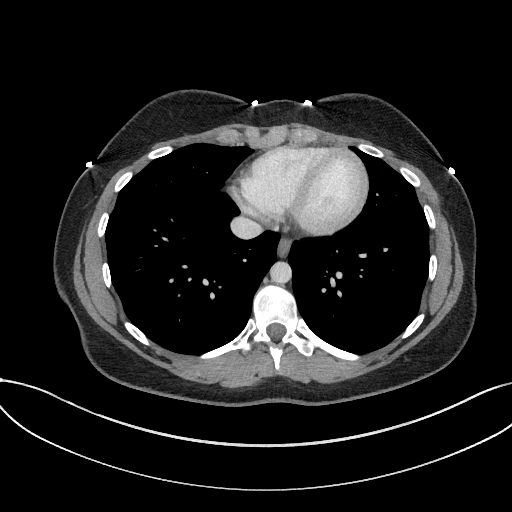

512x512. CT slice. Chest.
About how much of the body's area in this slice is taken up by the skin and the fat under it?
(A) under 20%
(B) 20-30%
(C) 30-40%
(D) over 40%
(B) 20-30%
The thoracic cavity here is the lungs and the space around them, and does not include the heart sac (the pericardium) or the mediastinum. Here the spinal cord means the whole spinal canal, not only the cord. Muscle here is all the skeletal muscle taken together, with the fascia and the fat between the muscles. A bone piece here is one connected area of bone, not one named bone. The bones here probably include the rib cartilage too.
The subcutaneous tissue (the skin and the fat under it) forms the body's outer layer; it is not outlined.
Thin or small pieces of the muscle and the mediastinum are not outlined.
The muscle appears in 2 outlined pieces: piece 1: [[226,388],[253,387],[273,376],[326,384],[354,378],[390,363],[441,322],[458,299],[464,269],[441,198],[420,169],[376,146],[391,167],[398,171],[404,165],[419,176],[418,200],[428,203],[435,214],[429,245],[430,253],[437,255],[438,269],[422,295],[419,312],[426,314],[424,321],[409,337],[397,337],[357,361],[319,348],[305,357],[287,344],[279,372],[262,342],[244,354],[235,350],[199,360],[151,341],[146,346],[127,332],[120,301],[101,277],[100,266],[107,257],[104,237],[97,236],[96,227],[100,214],[110,213],[114,206],[116,179],[129,169],[137,173],[150,160],[147,152],[112,176],[83,228],[74,257],[72,277],[81,304],[102,329],[143,358],[183,379]]; piece 2: [[150,150],[165,144],[170,144],[177,149],[196,142],[230,145],[220,143],[215,139],[215,136],[223,129],[235,128],[240,131],[245,128],[258,129],[262,134],[270,129],[277,129],[284,126],[290,130],[300,127],[316,131],[319,138],[314,143],[354,146],[358,142],[365,142],[375,145],[370,141],[359,137],[337,134],[301,123],[288,123],[268,127],[256,127],[247,124],[226,124],[200,133],[185,134],[157,142],[152,145]]. The thoracic cavity appears in 2 outlined pieces: piece 1: [[188,354],[215,348],[238,334],[251,315],[254,293],[275,261],[277,232],[266,230],[255,238],[242,240],[229,227],[240,210],[222,187],[252,152],[245,145],[196,143],[151,161],[118,193],[110,214],[105,233],[107,261],[112,285],[128,319],[152,341]]; piece 2: [[359,354],[389,343],[418,313],[427,280],[430,254],[429,229],[414,188],[381,159],[351,146],[350,149],[365,165],[369,178],[367,199],[360,213],[348,226],[331,236],[295,240],[291,246],[288,261],[292,268],[293,293],[299,314],[321,338],[335,346]]. The pericardium is outlined by [[298,236],[331,235],[349,224],[359,213],[366,199],[368,178],[361,160],[349,150],[342,148],[341,146],[319,146],[307,144],[276,146],[265,152],[255,154],[246,160],[238,167],[232,177],[228,180],[225,189],[243,211],[259,219],[267,227],[280,229]]. The torso is outlined by [[218,406],[318,406],[389,392],[441,370],[467,342],[477,313],[472,209],[434,145],[391,103],[345,92],[316,97],[315,107],[289,100],[246,106],[239,97],[205,89],[170,91],[140,108],[74,183],[57,228],[53,273],[86,357],[102,375],[126,387]]. The mediastinum appears in 2 outlined pieces: piece 1: [[291,292],[292,274],[287,261],[290,246],[295,239],[314,237],[298,237],[280,230],[267,228],[259,220],[241,210],[239,215],[233,218],[230,224],[232,232],[237,237],[249,239],[266,229],[277,231],[280,234],[276,261],[264,276],[259,287],[275,284]]; piece 2: [[241,163],[255,153],[257,153],[260,151],[265,151],[275,146],[272,146],[270,148],[268,148],[267,149],[261,149],[260,148],[254,148],[253,147],[251,147],[253,149],[253,152],[251,154],[250,154],[245,159],[244,159],[241,162]]. The bones appear in 12 outlined pieces: piece 1: [[278,371],[282,348],[287,343],[305,356],[310,356],[315,347],[347,360],[357,360],[361,356],[317,336],[298,314],[293,294],[284,288],[267,285],[255,293],[252,315],[239,334],[197,357],[212,358],[235,349],[244,353],[253,343],[262,341],[268,344]]; inner edge: [[274,341],[278,341],[281,338],[281,337],[285,333],[285,328],[282,325],[281,325],[280,324],[278,324],[277,323],[274,323],[273,324],[271,324],[270,325],[269,325],[267,327],[267,333],[269,335],[269,336]]; piece 2: [[250,146],[260,146],[263,143],[278,145],[287,139],[288,143],[314,142],[318,135],[307,129],[297,128],[290,131],[284,127],[270,130],[262,135],[258,130],[245,129],[242,132],[235,129],[223,130],[216,136],[218,141],[243,145],[240,139],[243,135]]; piece 3: [[146,345],[148,345],[150,343],[150,340],[149,339],[148,339],[147,338],[147,337],[136,326],[135,326],[128,320],[125,320],[123,322],[123,324],[124,325],[125,328],[128,331],[128,332],[130,334],[131,334],[137,340],[138,340],[140,342],[141,342]]; piece 4: [[401,338],[405,338],[409,336],[414,331],[415,331],[415,330],[420,325],[420,324],[423,321],[424,319],[425,314],[423,312],[421,312],[419,313],[406,327],[404,331],[401,334],[399,335],[399,336]]; piece 5: [[414,187],[417,187],[420,185],[420,180],[419,179],[419,178],[418,177],[418,176],[414,172],[413,172],[410,169],[409,169],[408,168],[407,168],[404,166],[401,166],[400,167],[399,167],[399,172],[404,177],[404,178],[408,182],[409,182]]; piece 6: [[379,158],[381,158],[383,156],[383,153],[379,149],[378,149],[375,146],[373,146],[370,144],[366,144],[365,143],[358,143],[355,146],[359,150],[360,150],[361,151],[362,151],[367,154],[369,154],[372,156],[375,156],[376,157],[378,157]]; piece 7: [[151,160],[155,158],[157,158],[158,157],[160,157],[161,156],[163,156],[164,155],[166,155],[170,153],[174,150],[173,147],[170,145],[165,145],[164,146],[159,147],[156,149],[154,149],[150,151],[147,154],[147,156],[148,158]]; piece 8: [[115,192],[118,192],[130,180],[130,179],[132,177],[132,176],[133,175],[133,173],[132,172],[132,171],[131,171],[130,170],[129,170],[128,171],[126,171],[124,173],[123,173],[117,179],[117,180],[116,181],[116,182],[114,185],[114,191]]; piece 9: [[430,229],[433,229],[435,227],[435,218],[434,217],[434,214],[433,213],[433,211],[431,207],[428,204],[426,203],[424,204],[422,206],[422,207],[423,208],[423,211],[424,212],[424,214],[425,215],[425,217],[426,218],[426,220],[427,221],[428,226]]; piece 10: [[99,237],[103,237],[104,236],[104,233],[105,232],[106,225],[107,224],[107,222],[108,221],[108,218],[109,217],[109,214],[106,211],[103,212],[101,214],[101,215],[100,216],[100,218],[99,219],[99,221],[98,222],[98,226],[97,227],[97,234]]; piece 11: [[429,281],[431,281],[434,278],[434,277],[435,276],[435,274],[436,273],[436,270],[437,269],[437,258],[436,257],[436,255],[434,253],[432,253],[430,255],[430,257],[429,258],[429,271],[428,272],[428,280]]; piece 12: [[107,287],[110,287],[111,286],[111,276],[110,275],[110,273],[109,272],[109,267],[108,266],[108,264],[107,263],[107,262],[106,261],[105,261],[102,263],[102,265],[101,266],[101,271],[102,272],[102,277],[103,278],[103,280],[104,281],[104,282]]. The spinal cord is outlined by [[274,341],[278,341],[281,338],[281,337],[285,333],[285,328],[282,325],[281,325],[280,324],[278,324],[277,323],[274,323],[273,324],[271,324],[270,325],[269,325],[267,327],[267,333],[269,335],[269,336]].